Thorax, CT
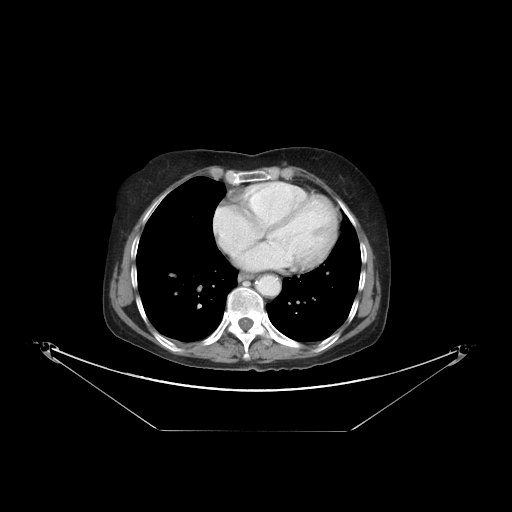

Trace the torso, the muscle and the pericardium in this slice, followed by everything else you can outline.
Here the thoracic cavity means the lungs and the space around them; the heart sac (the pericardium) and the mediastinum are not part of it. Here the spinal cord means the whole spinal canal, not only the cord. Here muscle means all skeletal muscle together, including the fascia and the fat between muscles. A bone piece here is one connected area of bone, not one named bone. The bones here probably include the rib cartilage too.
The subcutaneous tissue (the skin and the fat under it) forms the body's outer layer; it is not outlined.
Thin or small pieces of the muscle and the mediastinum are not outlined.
{"torso":[[[289,146],[312,146],[343,155],[366,175],[379,194],[387,213],[392,275],[386,325],[378,340],[353,355],[310,369],[256,372],[252,369],[190,368],[116,337],[104,321],[101,289],[113,217],[113,196],[118,184],[150,158],[167,151],[206,148],[255,154]]],"muscle":[[[343,201],[356,217],[372,249],[381,297],[375,319],[368,326],[318,355],[267,363],[253,360],[227,363],[177,355],[159,346],[132,329],[111,304],[109,288],[115,264],[121,263],[127,238],[148,207],[141,220],[144,226],[141,234],[130,245],[130,258],[135,261],[130,268],[130,281],[138,290],[135,304],[140,317],[146,324],[151,323],[155,329],[152,335],[155,339],[164,348],[174,353],[182,352],[184,349],[172,341],[199,341],[207,346],[226,331],[241,342],[244,360],[250,358],[249,346],[257,336],[267,346],[273,340],[296,349],[302,343],[318,342],[311,351],[319,353],[340,337],[341,332],[336,330],[354,318],[359,305],[355,297],[366,281],[366,271],[361,268],[368,257],[366,245],[359,241],[355,229],[356,220]],[[284,164],[289,166],[300,167],[316,175],[323,180],[340,198],[337,197],[335,200],[334,200],[334,199],[332,198],[332,197],[323,188],[313,181],[304,177],[294,176],[295,172],[294,170],[290,167],[283,167],[280,168],[276,166],[271,166],[282,166]],[[214,165],[223,167],[225,169],[234,169],[240,170],[238,171],[235,171],[234,170],[232,169],[227,169],[226,170],[224,170],[222,168],[220,168],[219,167],[214,167],[213,168],[211,168],[209,170],[209,174],[210,176],[198,175],[197,176],[191,177],[189,179],[184,181],[178,185],[175,188],[171,190],[170,189],[167,189],[160,194],[171,184],[180,179],[186,174],[188,174],[193,171],[195,171],[198,169],[200,169],[204,167],[213,166]]],"pericardium":[[[267,180],[291,180],[293,182],[304,183],[319,190],[330,200],[333,200],[337,206],[341,215],[339,235],[327,258],[317,267],[297,275],[284,275],[273,270],[245,271],[232,265],[218,248],[213,233],[213,216],[219,202],[224,196],[239,186],[252,182]]],"mediastinum":[[[237,269],[245,272],[273,271],[274,272],[277,272],[284,276],[291,276],[292,275],[296,275],[293,275],[292,276],[291,277],[286,277],[282,282],[282,288],[280,293],[275,297],[272,301],[265,304],[262,296],[254,289],[244,285],[236,286],[237,285],[237,278],[238,277],[238,270]],[[293,177],[300,177],[301,178],[304,178],[307,180],[309,180],[313,182],[323,189],[331,197],[331,198],[333,199],[330,199],[328,196],[327,196],[316,187],[314,187],[311,185],[306,184],[304,182],[293,181],[291,179],[276,179],[278,178],[291,179]],[[219,179],[223,179],[228,184],[230,184],[231,185],[238,185],[239,184],[241,184],[242,183],[249,183],[245,183],[244,184],[239,185],[235,188],[233,188],[226,194],[226,189],[225,188],[225,185],[222,181],[221,181],[220,180],[218,180]]],"thoracic_cavity":[[[198,176],[210,177],[224,185],[225,194],[218,202],[212,216],[212,233],[219,251],[237,270],[237,277],[235,287],[226,295],[225,308],[215,329],[200,340],[183,342],[169,339],[160,333],[149,320],[138,289],[136,256],[144,227],[159,204],[172,190]],[[340,209],[354,228],[358,240],[361,266],[357,291],[345,320],[334,332],[319,341],[301,342],[286,335],[273,324],[269,318],[265,305],[272,302],[281,293],[283,282],[286,278],[291,278],[293,276],[299,277],[324,264],[342,232],[340,229],[342,221]]],"spinal_cord":[[[242,318],[248,318],[249,319],[250,319],[252,321],[252,325],[247,330],[244,330],[242,328],[241,328],[241,327],[239,325],[239,320],[240,319],[241,319]]],"bones":[{"outer":[[240,286],[257,292],[264,302],[264,308],[272,324],[302,346],[291,347],[273,339],[267,345],[263,342],[263,337],[257,335],[248,346],[249,358],[244,359],[242,342],[226,330],[216,341],[207,345],[200,344],[200,341],[219,325],[226,308],[228,293]],"hole":[[242,318],[248,318],[249,319],[250,319],[252,321],[252,325],[247,330],[244,330],[242,328],[241,328],[241,327],[239,325],[239,320],[240,319],[241,319]]},[[269,167],[276,167],[280,169],[290,168],[294,172],[291,178],[278,177],[275,179],[258,180],[251,182],[242,182],[238,184],[231,184],[228,183],[222,177],[215,179],[210,174],[210,170],[214,168],[219,168],[224,171],[232,170],[235,172],[238,172]],[[154,330],[156,330],[160,334],[161,334],[163,336],[167,338],[170,341],[173,342],[177,346],[183,349],[183,350],[182,351],[176,351],[174,352],[164,347],[156,339],[156,338],[153,335],[152,332]],[[337,331],[338,332],[340,332],[340,335],[339,336],[339,337],[331,345],[330,345],[325,349],[324,349],[319,352],[313,352],[312,351],[312,349],[313,348],[314,348],[320,341],[325,339],[327,337],[328,337],[330,335],[331,335],[333,333],[334,333]],[[167,190],[170,190],[170,191],[158,204],[158,205],[155,208],[155,209],[152,212],[152,213],[146,221],[145,224],[143,225],[142,224],[142,220],[143,219],[143,217],[144,215],[146,213],[149,207],[159,197],[160,195],[161,195],[165,191]],[[337,198],[340,199],[342,201],[342,202],[345,205],[345,206],[347,208],[349,212],[354,218],[355,220],[355,222],[356,223],[356,227],[355,228],[353,226],[352,223],[350,221],[348,217],[344,213],[344,212],[340,208],[340,207],[336,202],[336,199]],[[138,295],[141,299],[141,302],[142,303],[142,305],[143,306],[144,311],[149,321],[148,323],[146,323],[143,320],[138,310],[138,308],[136,304],[136,297]],[[355,298],[357,298],[358,299],[358,305],[357,306],[357,309],[351,321],[348,322],[346,320],[346,319],[348,316],[348,314],[350,311],[351,306]],[[137,235],[139,235],[140,236],[140,237],[139,238],[139,242],[138,243],[138,245],[137,246],[137,251],[136,252],[136,255],[135,256],[135,260],[134,260],[131,258],[131,245],[132,244],[132,242],[133,241],[133,240],[134,239],[134,238]],[[133,265],[135,265],[136,266],[136,270],[137,271],[137,288],[136,289],[135,289],[133,287],[133,286],[132,285],[132,282],[131,281],[131,268],[132,267],[132,266]],[[360,241],[362,241],[364,243],[364,244],[365,245],[365,248],[366,249],[366,253],[367,254],[367,257],[366,258],[366,261],[365,262],[365,263],[364,264],[362,264],[362,263],[361,262],[361,254],[360,253],[360,246],[359,245],[359,242]],[[361,269],[363,269],[365,271],[365,281],[364,282],[364,284],[363,285],[363,288],[360,291],[358,291],[358,284],[359,283],[359,277],[360,276],[360,272],[361,271]]]}